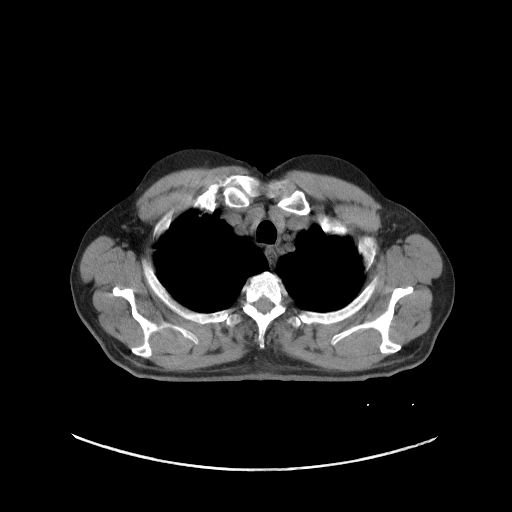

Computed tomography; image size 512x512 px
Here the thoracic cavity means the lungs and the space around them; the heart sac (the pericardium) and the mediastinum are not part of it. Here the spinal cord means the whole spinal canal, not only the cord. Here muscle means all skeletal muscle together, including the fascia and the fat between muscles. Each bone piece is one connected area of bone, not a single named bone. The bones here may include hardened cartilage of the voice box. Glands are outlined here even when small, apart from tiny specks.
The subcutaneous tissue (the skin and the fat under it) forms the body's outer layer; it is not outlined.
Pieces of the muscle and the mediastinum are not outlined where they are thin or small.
{"spinal_cord":[[[261,297],[265,297],[266,298],[267,298],[272,303],[272,304],[273,305],[272,306],[272,307],[268,311],[267,311],[266,312],[262,312],[261,311],[260,311],[259,310],[258,310],[257,309],[257,308],[254,305],[254,303],[256,301],[257,301]]],"bones":[[[234,174],[253,176],[262,184],[288,179],[286,190],[301,190],[309,203],[309,213],[297,215],[280,208],[277,203],[282,193],[270,198],[263,189],[250,199],[247,207],[228,207],[221,188],[216,208],[200,215],[188,206],[189,198],[194,199],[210,184]],{"outer":[[264,271],[270,271],[275,273],[282,280],[289,297],[287,299],[287,309],[286,311],[272,320],[268,325],[264,334],[264,347],[260,348],[258,344],[258,327],[257,324],[251,317],[242,311],[240,307],[239,300],[240,299],[241,289],[248,278]],"hole":[[261,297],[265,297],[266,298],[267,298],[272,303],[272,304],[273,305],[272,306],[272,307],[268,311],[267,311],[266,312],[262,312],[261,311],[260,311],[259,310],[258,310],[257,309],[257,308],[254,305],[254,303],[256,301],[257,301]]},[[143,258],[152,265],[156,276],[169,294],[177,302],[186,308],[196,312],[210,313],[233,307],[240,314],[241,320],[233,326],[228,326],[224,321],[216,323],[210,322],[200,324],[182,317],[170,309],[152,291],[148,285],[143,273],[142,267],[142,259]],[[408,285],[413,287],[413,291],[401,297],[394,305],[388,333],[394,342],[401,345],[401,349],[394,353],[382,353],[379,349],[381,334],[372,327],[358,329],[334,345],[331,343],[331,339],[335,334],[351,326],[373,320],[380,315],[386,309],[393,290]],[[376,275],[378,277],[377,283],[370,298],[359,310],[349,317],[338,322],[330,324],[302,323],[298,327],[294,327],[287,322],[287,319],[289,316],[295,314],[296,312],[300,310],[309,310],[316,312],[328,312],[342,308],[348,304]],[[115,286],[133,290],[136,308],[144,317],[158,325],[162,321],[178,325],[193,333],[198,338],[198,343],[195,344],[177,330],[164,328],[149,336],[151,348],[149,357],[134,354],[130,348],[143,340],[143,331],[132,316],[129,302],[121,296],[112,294]],[[365,235],[373,237],[376,242],[376,253],[374,257],[374,260],[371,266],[366,272],[365,272],[364,270],[364,266],[363,265],[363,261],[362,260],[362,257],[358,253],[357,247],[356,246],[357,245],[357,242],[360,238],[360,237],[364,236]],[[320,213],[325,213],[332,217],[334,217],[336,218],[339,221],[340,221],[347,228],[347,234],[346,235],[341,236],[340,235],[336,235],[335,234],[327,234],[325,233],[319,225],[318,223],[318,221],[317,220],[317,216],[318,214]],[[170,209],[173,209],[173,212],[172,213],[173,220],[171,222],[171,223],[170,224],[169,227],[167,229],[167,230],[166,230],[156,240],[153,237],[153,235],[152,234],[153,233],[153,229],[154,228],[154,226],[157,222],[157,221],[166,212],[167,212]]],"thoracic_cavity":[[[190,209],[197,210],[200,216],[211,214],[219,209],[220,217],[231,227],[233,233],[237,236],[250,237],[262,250],[268,263],[269,270],[247,278],[240,289],[239,296],[229,307],[210,312],[190,309],[170,294],[156,274],[154,243],[168,230],[176,218]],[[313,223],[317,224],[327,235],[341,237],[347,235],[350,237],[356,247],[357,253],[361,257],[365,273],[360,291],[348,303],[334,310],[316,311],[299,308],[289,296],[283,280],[273,272],[279,257],[295,250],[295,239],[299,231],[307,229],[310,224]]],"thyroid_glands":[[[269,210],[270,210],[272,212],[275,212],[278,214],[280,214],[281,215],[282,215],[284,217],[284,229],[282,232],[280,232],[278,230],[278,229],[277,228],[277,227],[276,226],[276,225],[275,224],[274,221],[271,218],[271,217],[268,214],[268,211]],[[260,213],[261,213],[262,213],[263,213],[264,214],[264,215],[263,216],[262,217],[261,217],[260,217],[259,217],[259,216],[259,215],[259,214]]],"torso":[[[188,147],[215,149],[262,171],[299,154],[335,155],[359,167],[386,197],[417,215],[438,239],[455,278],[451,311],[428,357],[413,368],[362,381],[159,381],[134,376],[112,362],[74,307],[69,283],[73,259],[84,233],[94,221],[127,196],[158,159]]],"muscle":[[[225,165],[252,175],[219,178],[188,198],[189,209],[174,219],[170,208],[153,226],[154,267],[143,257],[142,273],[170,310],[200,325],[233,327],[242,320],[232,306],[239,297],[263,349],[289,298],[300,309],[286,319],[294,328],[338,323],[368,302],[379,278],[363,287],[377,253],[373,236],[360,236],[356,245],[348,228],[325,212],[308,223],[267,205],[246,208],[263,190],[270,199],[281,193],[280,209],[307,216],[310,203],[301,189],[287,190],[288,178],[260,179],[297,169],[344,179],[370,194],[383,208],[382,249],[414,232],[436,247],[443,273],[431,289],[429,328],[402,349],[390,337],[395,305],[414,291],[408,284],[392,290],[376,317],[330,339],[334,346],[358,330],[376,330],[379,351],[392,354],[370,369],[325,370],[253,349],[237,360],[167,371],[139,357],[152,355],[150,336],[171,329],[195,345],[199,338],[144,316],[134,290],[115,285],[111,294],[128,302],[142,331],[131,353],[99,327],[80,277],[82,255],[101,235],[135,251],[142,237],[135,203],[148,187],[176,170]]],"mediastinum":[[[222,206],[232,209],[262,209],[267,206],[269,209],[267,214],[280,233],[285,229],[286,216],[299,217],[309,225],[298,231],[294,239],[294,250],[280,255],[274,270],[271,271],[263,250],[255,244],[251,237],[235,234],[232,227],[221,217],[220,207]]]}